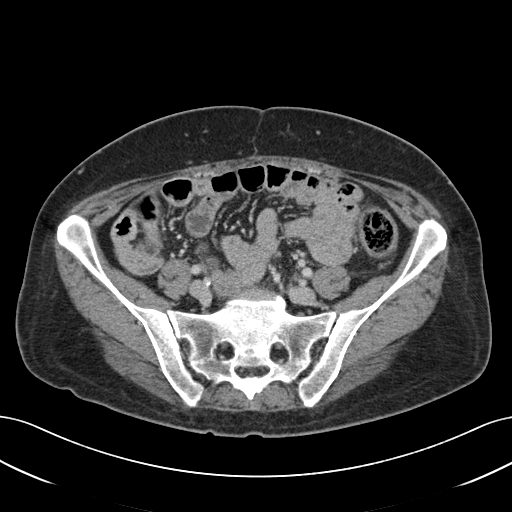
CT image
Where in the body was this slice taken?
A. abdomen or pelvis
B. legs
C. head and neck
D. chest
A. abdomen or pelvis
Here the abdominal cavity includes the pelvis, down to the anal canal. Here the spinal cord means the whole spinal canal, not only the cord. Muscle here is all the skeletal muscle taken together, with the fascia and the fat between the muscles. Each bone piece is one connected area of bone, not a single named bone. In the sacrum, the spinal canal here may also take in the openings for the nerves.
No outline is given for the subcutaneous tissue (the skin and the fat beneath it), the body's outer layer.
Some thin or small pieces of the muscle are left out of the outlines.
{"spinal_cord":[[[258,367],[264,367],[265,368],[266,368],[266,371],[263,374],[262,374],[259,376],[258,376],[257,375],[254,375],[253,376],[244,376],[243,377],[242,377],[239,375],[239,374],[237,371],[237,370],[239,368],[257,368]],[[224,341],[225,341],[226,341],[227,341],[228,342],[229,343],[230,344],[230,345],[230,346],[230,347],[229,348],[228,349],[227,350],[226,350],[225,350],[224,350],[223,349],[222,348],[221,347],[221,346],[221,345],[221,344],[222,343],[223,342]],[[277,342],[278,342],[279,342],[280,342],[281,343],[282,344],[283,345],[283,346],[283,347],[283,348],[282,349],[281,350],[280,351],[279,351],[278,351],[277,351],[276,350],[275,349],[274,348],[274,347],[274,346],[274,345],[275,344],[276,343]]],"muscle":[[[262,155],[303,157],[379,175],[428,198],[449,230],[441,295],[429,317],[383,372],[322,408],[181,412],[105,362],[89,323],[60,278],[52,243],[56,227],[58,244],[141,323],[161,372],[189,408],[197,406],[205,389],[199,376],[213,385],[229,383],[250,401],[273,382],[290,384],[298,379],[297,395],[305,408],[312,408],[338,376],[361,325],[447,245],[445,227],[433,217],[424,218],[396,279],[370,304],[338,314],[330,309],[332,305],[372,277],[396,269],[412,237],[379,193],[347,177],[274,161],[199,176],[169,175],[128,199],[96,230],[111,266],[171,302],[172,308],[165,311],[140,306],[105,272],[88,219],[71,213],[60,220],[63,215],[74,203],[126,180]],[[169,260],[183,260],[185,261],[190,266],[190,278],[187,284],[187,290],[186,292],[178,299],[174,299],[173,298],[171,298],[169,297],[163,291],[163,290],[160,287],[158,283],[158,277],[161,271],[162,266],[163,266],[164,264]],[[338,266],[343,267],[346,270],[349,276],[349,282],[348,283],[347,289],[346,289],[339,296],[337,296],[335,298],[332,299],[327,299],[321,297],[314,288],[314,286],[312,283],[312,278],[314,276],[315,272],[317,270],[319,270],[322,268],[335,268]]],"torso":[[[226,104],[262,109],[302,106],[348,115],[412,143],[445,172],[469,206],[482,244],[492,343],[487,366],[475,381],[385,418],[266,438],[216,436],[153,423],[83,400],[29,372],[16,342],[15,309],[33,224],[48,194],[83,159],[129,130],[175,112]]],"bones":[{"outer":[[71,214],[87,219],[118,290],[163,312],[208,314],[261,289],[282,296],[293,315],[338,315],[370,305],[397,279],[421,221],[435,219],[447,239],[360,325],[312,407],[298,378],[273,381],[250,400],[200,375],[204,389],[189,407],[142,323],[57,241]],"holes":[[[258,367],[264,367],[265,368],[266,368],[266,371],[263,374],[262,374],[259,376],[258,376],[257,375],[254,375],[253,376],[244,376],[243,377],[242,377],[239,375],[239,374],[237,371],[237,370],[239,368],[257,368]],[[277,342],[278,342],[279,342],[280,342],[281,343],[282,344],[283,345],[283,346],[283,347],[283,348],[282,349],[281,350],[280,351],[279,351],[278,351],[277,351],[276,350],[275,349],[274,348],[274,347],[274,346],[274,345],[275,344],[276,343]],[[224,341],[225,341],[226,341],[227,341],[228,342],[229,343],[230,344],[230,345],[230,346],[230,347],[229,348],[228,349],[227,350],[226,350],[225,350],[224,350],[223,349],[222,348],[221,347],[221,346],[221,345],[221,344],[222,343],[223,342]]]}],"abdominal_cavity":[{"outer":[[263,162],[347,178],[379,194],[411,232],[408,245],[391,273],[372,276],[332,304],[329,310],[313,314],[293,314],[287,310],[282,295],[261,288],[242,290],[216,310],[196,313],[174,309],[170,300],[108,261],[97,230],[143,189],[169,176],[221,174]],"hole":[[169,260],[183,260],[185,261],[190,266],[190,278],[187,284],[187,290],[186,292],[178,299],[174,299],[173,298],[171,298],[169,297],[163,291],[163,290],[160,287],[158,283],[158,277],[161,271],[162,266],[163,266],[164,264]]}]}